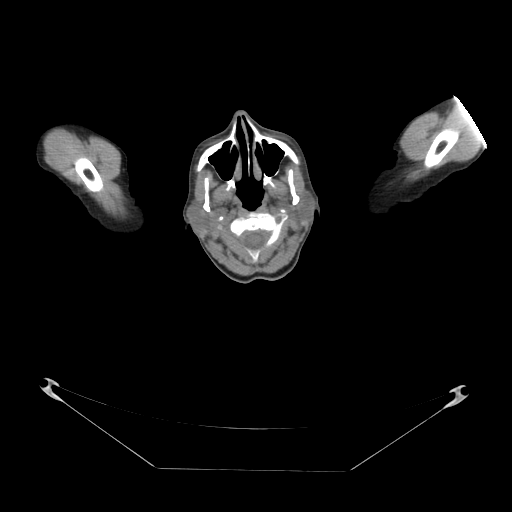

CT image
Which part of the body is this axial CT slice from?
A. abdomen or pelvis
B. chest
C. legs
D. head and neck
Answer: D. head and neck
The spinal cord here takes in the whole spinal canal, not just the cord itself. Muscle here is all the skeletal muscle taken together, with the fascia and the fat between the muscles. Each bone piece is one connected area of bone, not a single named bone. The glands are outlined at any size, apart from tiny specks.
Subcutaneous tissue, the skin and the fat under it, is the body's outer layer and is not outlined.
Outlined structures:
head and neck: 239 108; 244 109; 261 125; 285 132; 298 142; 318 195; 321 215; 314 213; 311 230; 294 268; 277 280; 255 279; 240 283; 228 278; 206 255; 191 228; 184 228; 182 209; 188 192; 188 168; 192 153; 203 139; 223 130; 233 112 with holes at 238 121; 240 123; 245 143; 246 172; 248 175; 252 174; 253 177; 256 180; 261 180; 263 190; 260 203; 254 209; 248 209; 243 205; 242 200; 238 195; 236 190; 237 188; 236 183; 242 177; 242 152; 241 146; 237 137; 237 123 and at 227 142; 229 142; 228 153; 231 154; 233 148; 235 148; 237 152; 237 156; 235 161; 232 165; 232 174; 231 177; 228 179; 224 179; 220 176; 215 166; 210 161; 210 157; 213 156; 214 154; 219 151; 223 147; 224 144 and at 263 142; 265 142; 268 145; 274 145; 276 146; 282 152; 282 155; 279 160; 277 168; 271 175; 268 175; 264 171; 262 167; 262 163; 260 161; 256 153; 257 146; 259 147; 260 150; 262 152; 264 150; 264 147; 263 146
spinal cord: 257 230; 263 230; 264 231; 266 231; 268 232; 268 237; 265 241; 265 242; 263 244; 263 245; 261 247; 259 247; 258 248; 250 248; 249 247; 247 247; 245 246; 240 240; 240 237; 241 235; 245 231; 256 231
bones 1: 240 115; 246 115; 261 133; 289 145; 299 160; 299 164; 288 157; 280 161; 279 171; 272 177; 274 187; 268 184; 263 186; 261 179; 256 179; 252 173; 248 174; 246 143; 239 120; 236 123; 236 137; 241 152; 241 177; 235 183; 236 188; 226 190; 225 181; 232 177; 233 165; 238 156; 235 147; 229 153; 229 141; 209 157; 214 167; 206 164; 196 171; 202 152; 227 136; 234 119, around a hole outlined by 263 142; 265 142; 268 145; 274 145; 276 146; 282 152; 282 155; 279 160; 277 168; 271 175; 268 175; 264 171; 262 167; 262 163; 260 161; 256 153; 257 146; 259 147; 260 150; 262 152; 264 150; 264 147; 263 146
bones 2: 251 210; 268 212; 273 215; 277 223; 281 222; 283 218; 287 216; 277 239; 260 252; 255 262; 253 262; 244 247; 250 249; 261 248; 268 239; 269 232; 263 229; 245 230; 238 238; 229 227; 230 223; 235 218; 241 216; 246 217
bones 3: 444 128; 451 128; 453 129; 459 135; 458 136; 458 139; 457 141; 448 151; 448 152; 441 159; 440 162; 437 165; 429 169; 425 169; 423 166; 423 160; 424 159; 424 157; 434 137; 442 129
bones 4: 82 156; 86 157; 93 164; 93 165; 97 170; 98 173; 100 175; 101 179; 103 182; 103 189; 102 190; 98 192; 93 192; 92 191; 90 191; 86 187; 82 179; 76 172; 74 168; 74 161; 77 158; 81 157
bones 5: 290 168; 292 169; 293 171; 293 184; 295 188; 295 191; 296 193; 299 196; 299 201; 296 204; 294 205; 292 204; 292 196; 290 193; 290 188; 288 184; 288 175; 287 174; 287 171
bones 6: 205 177; 208 177; 209 178; 209 180; 208 181; 208 187; 209 188; 209 206; 210 207; 210 211; 209 211; 208 212; 207 211; 206 211; 203 208; 203 203; 204 202; 204 196; 205 195; 205 189; 204 188; 204 178
left arm: 453 96; 469 112; 483 136; 487 150; 469 167; 454 172; 420 198; 412 202; 403 203; 384 215; 370 215; 366 213; 363 207; 364 195; 377 174; 381 170; 391 167; 394 163; 396 153; 392 149; 392 143; 399 132; 411 118; 437 102
right arm: 62 121; 73 121; 88 126; 107 136; 124 150; 127 155; 129 186; 136 201; 143 207; 146 217; 145 224; 139 231; 129 235; 121 235; 106 230; 90 217; 80 201; 58 179; 44 171; 38 165; 35 158; 35 145; 40 133; 48 126
parotid glands 1: 192 201; 196 201; 199 204; 199 205; 201 206; 201 210; 203 213; 203 216; 204 217; 204 223; 203 224; 203 227; 202 227; 201 229; 199 230; 199 231; 198 231; 192 224; 192 223; 189 220; 188 218; 188 216; 187 215; 187 208
parotid glands 2: 305 191; 309 191; 311 195; 313 197; 313 199; 314 200; 314 207; 311 211; 311 213; 309 216; 309 219; 308 218; 306 219; 304 217; 302 217; 302 216; 300 215; 300 213; 299 212; 299 206; 300 205; 300 198; 302 196; 302 194
muscle 1: 263 133; 285 137; 297 150; 301 158; 305 187; 308 190; 300 197; 294 184; 294 171; 290 167; 286 171; 287 184; 291 204; 294 206; 299 202; 299 215; 309 221; 293 257; 285 266; 273 273; 256 272; 243 276; 220 263; 207 249; 200 236; 205 217; 202 206; 193 200; 194 165; 203 146; 220 139; 201 152; 195 171; 198 173; 206 165; 211 165; 225 180; 225 190; 235 190; 242 205; 250 210; 246 216; 235 217; 228 227; 255 263; 261 252; 278 239; 288 218; 287 215; 284 216; 277 222; 272 213; 255 209; 261 203; 263 187; 275 187; 273 177; 279 173; 283 159; 288 158; 294 164; 300 164; 296 152; 289 144 with a hole at 205 177; 208 177; 209 178; 209 180; 208 181; 208 187; 209 188; 209 206; 210 207; 210 211; 209 211; 208 212; 207 211; 206 211; 203 208; 203 203; 204 202; 204 196; 205 195; 205 189; 204 188; 204 178
muscle 2: 59 127; 73 131; 82 138; 89 135; 97 136; 107 141; 118 150; 121 156; 121 164; 120 174; 116 181; 121 186; 128 200; 127 206; 130 215; 127 218; 118 219; 107 214; 81 186; 71 182; 45 162; 43 157; 44 137; 48 132; inner edge: 82 156; 86 157; 93 164; 93 165; 97 170; 98 173; 100 175; 101 179; 103 182; 103 189; 102 190; 98 192; 93 192; 92 191; 90 191; 86 187; 82 179; 76 172; 74 168; 74 161; 77 158; 81 157
muscle 3: 458 99; 469 112; 483 136; 484 141; 481 147; 470 159; 464 162; 448 162; 432 170; 415 182; 408 184; 403 183; 403 179; 399 176; 412 162; 408 160; 402 152; 400 146; 402 136; 409 126; 421 116; 431 111; 441 111; 451 101 with a hole at 444 128; 451 128; 453 129; 459 135; 458 136; 458 139; 457 141; 448 151; 448 152; 441 159; 440 162; 437 165; 429 169; 425 169; 423 166; 423 160; 424 159; 424 157; 434 137; 442 129